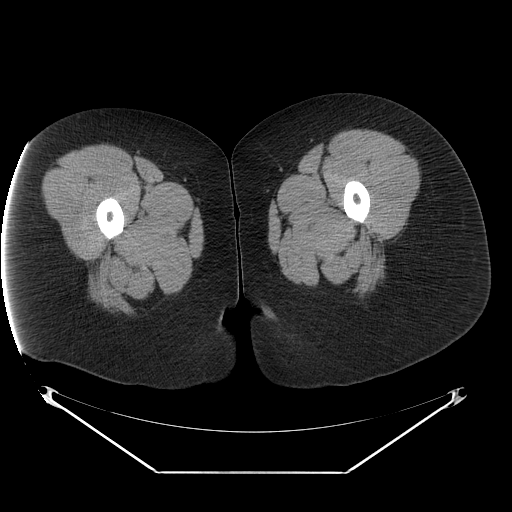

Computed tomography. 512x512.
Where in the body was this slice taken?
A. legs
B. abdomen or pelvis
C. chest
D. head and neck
A. legs
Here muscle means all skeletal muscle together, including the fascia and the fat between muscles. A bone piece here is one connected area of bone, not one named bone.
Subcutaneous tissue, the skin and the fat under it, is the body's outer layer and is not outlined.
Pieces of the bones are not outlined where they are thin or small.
The bones appear in 2 outlined pieces: piece 1: 351 180; 357 180; 361 182; 366 187; 369 193; 369 197; 370 198; 370 207; 369 208; 368 214; 365 218; 363 223; 358 222; 348 217; 343 209; 343 203; 342 202; 343 201; 344 187; 345 186; 345 184; 348 181; 350 181; piece 2: 107 197; 113 197; 118 201; 119 204; 122 208; 123 214; 124 215; 124 226; 123 227; 123 230; 119 234; 114 236; 110 239; 108 239; 101 232; 97 224; 96 218; 95 217; 95 212; 96 211; 97 205; 101 200. The left leg is outlined by 332 92; 363 92; 394 100; 421 115; 446 138; 464 165; 481 208; 491 263; 491 289; 487 305; 473 327; 431 357; 349 386; 283 388; 262 376; 252 351; 252 310; 241 285; 239 210; 234 204; 229 162; 236 143; 262 119; 295 102. The muscle appears in 2 outlined pieces: piece 1: 102 142; 152 159; 176 182; 183 184; 194 198; 194 203; 198 207; 202 219; 204 245; 198 268; 178 294; 169 297; 139 316; 116 316; 89 302; 84 292; 84 271; 65 244; 58 223; 47 213; 41 196; 42 176; 57 157; 72 149, around a hole outlined by 107 197; 113 197; 118 201; 119 204; 122 208; 123 214; 124 215; 124 226; 123 227; 123 230; 119 234; 114 236; 110 239; 108 239; 101 232; 97 224; 96 218; 95 217; 95 212; 96 211; 97 205; 101 200; piece 2: 352 128; 381 131; 399 140; 412 150; 421 172; 419 193; 412 202; 405 230; 394 243; 386 248; 387 267; 384 282; 377 294; 358 303; 336 301; 303 293; 280 272; 280 267; 267 241; 268 209; 282 181; 313 146; 324 142; 341 130; inner edge: 351 180; 357 180; 361 182; 366 187; 369 193; 369 197; 370 198; 370 207; 369 208; 368 214; 365 218; 363 223; 358 222; 348 217; 343 209; 343 203; 342 202; 343 201; 344 187; 345 186; 345 184; 348 181; 350 181. The right leg is outlined by 108 106; 149 110; 181 120; 212 139; 228 160; 238 227; 240 290; 223 323; 236 336; 238 354; 233 372; 220 383; 181 390; 124 385; 62 363; 41 362; 18 350; 0 278; 0 233; 10 189; 28 141; 36 133; 68 114.